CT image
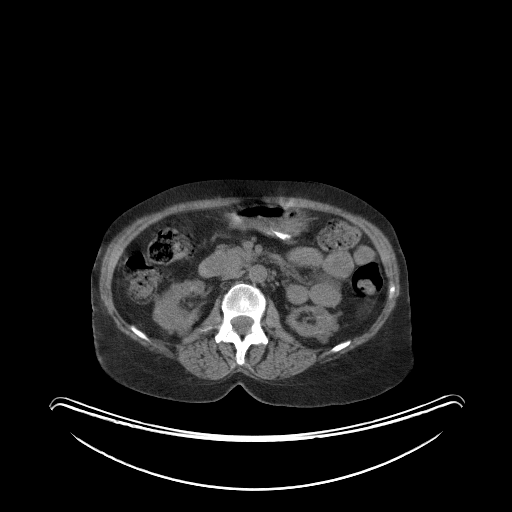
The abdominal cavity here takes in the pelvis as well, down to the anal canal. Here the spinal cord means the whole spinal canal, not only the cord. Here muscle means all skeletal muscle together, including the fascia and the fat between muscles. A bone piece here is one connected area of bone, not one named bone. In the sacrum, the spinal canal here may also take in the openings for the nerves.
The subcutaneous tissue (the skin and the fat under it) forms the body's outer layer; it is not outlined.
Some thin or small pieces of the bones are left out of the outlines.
{"abdominal_cavity":[[[251,199],[333,214],[365,232],[379,254],[388,284],[384,305],[365,331],[331,347],[308,347],[284,329],[274,302],[243,281],[231,285],[221,300],[217,297],[201,325],[177,343],[148,336],[120,314],[112,291],[114,270],[126,247],[144,229],[172,214]]],"muscle":[{"outer":[[219,196],[220,197],[243,197],[244,198],[254,198],[255,197],[260,197],[261,196],[291,196],[292,197],[301,197],[302,198],[306,198],[311,200],[315,200],[316,201],[327,203],[339,207],[348,212],[359,215],[376,225],[387,236],[392,245],[398,264],[398,268],[399,269],[399,283],[400,284],[400,294],[396,300],[396,304],[390,315],[378,332],[368,341],[359,345],[357,347],[350,350],[348,352],[333,360],[321,364],[318,363],[310,367],[303,372],[289,378],[286,378],[281,380],[277,379],[271,381],[262,381],[261,380],[255,379],[250,376],[248,376],[240,371],[235,372],[230,375],[228,375],[224,378],[218,380],[208,380],[207,379],[199,378],[186,371],[184,367],[178,361],[174,359],[164,357],[155,352],[150,351],[120,331],[115,325],[112,318],[107,313],[106,308],[101,300],[100,293],[99,292],[99,278],[100,277],[101,262],[107,245],[113,237],[125,226],[128,225],[138,217],[161,210],[166,206],[171,205],[174,203],[178,203],[184,201],[189,201],[190,200],[196,200],[197,199],[213,198]],"hole":[[251,199],[333,214],[365,232],[379,254],[388,285],[395,287],[393,297],[390,300],[386,298],[371,325],[352,337],[346,347],[330,353],[330,347],[308,347],[286,331],[274,302],[267,297],[260,322],[268,342],[251,344],[242,365],[236,362],[236,349],[232,342],[218,343],[214,338],[223,318],[220,296],[201,325],[177,343],[149,336],[147,341],[134,333],[118,311],[112,291],[114,270],[130,242],[148,226],[169,215]]}],"torso":[[[221,177],[323,182],[360,197],[389,220],[397,233],[407,262],[415,349],[414,366],[403,381],[364,400],[308,408],[263,403],[240,385],[216,401],[174,401],[131,390],[102,373],[96,361],[92,339],[90,274],[104,232],[126,209],[159,191],[188,181]]],"spinal_cord":[[[238,316],[246,316],[247,317],[249,317],[252,320],[252,323],[250,326],[250,329],[249,330],[249,332],[248,332],[247,333],[246,333],[244,335],[241,335],[240,334],[239,334],[233,328],[233,326],[232,325],[232,320],[234,318],[235,318]]],"bones":[{"outer":[[239,282],[253,285],[263,293],[266,300],[266,307],[260,322],[268,338],[266,344],[251,344],[248,347],[242,365],[236,362],[236,349],[232,342],[221,341],[218,343],[214,338],[218,331],[217,326],[221,323],[223,318],[221,309],[223,295],[231,286]],"hole":[[238,316],[246,316],[247,317],[249,317],[252,320],[252,323],[250,326],[250,329],[249,330],[249,332],[248,332],[247,333],[246,333],[244,335],[241,335],[240,334],[239,334],[233,328],[233,326],[232,325],[232,320],[234,318],[235,318]]},[[348,339],[350,339],[351,340],[351,342],[346,347],[345,347],[344,348],[343,348],[342,349],[341,349],[336,352],[333,352],[332,353],[330,353],[329,352],[330,349],[332,347],[333,347],[335,345],[338,344],[340,342],[342,342],[343,341],[345,341]],[[131,324],[134,325],[138,329],[139,329],[141,331],[142,331],[148,337],[148,338],[149,339],[149,341],[147,341],[146,340],[145,340],[144,339],[143,339],[142,338],[139,337],[135,333],[134,333],[130,329],[130,328],[129,327],[129,326]]]}